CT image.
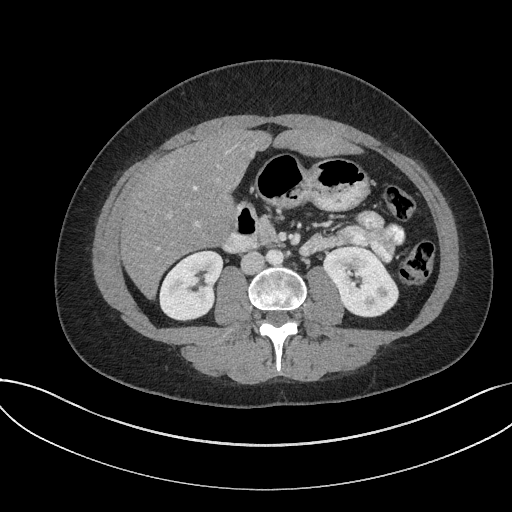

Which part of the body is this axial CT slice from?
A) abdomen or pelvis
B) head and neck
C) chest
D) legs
A) abdomen or pelvis
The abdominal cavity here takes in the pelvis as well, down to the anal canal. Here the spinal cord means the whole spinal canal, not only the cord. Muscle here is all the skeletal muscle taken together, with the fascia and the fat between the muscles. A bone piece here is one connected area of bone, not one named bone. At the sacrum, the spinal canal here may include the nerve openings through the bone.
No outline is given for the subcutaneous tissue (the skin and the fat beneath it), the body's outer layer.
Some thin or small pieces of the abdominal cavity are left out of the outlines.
{"abdominal_cavity":[[[372,329],[407,325],[431,292],[439,266],[425,200],[378,152],[313,127],[222,128],[166,152],[130,197],[120,226],[122,269],[156,326],[218,325],[216,287],[227,265],[238,267],[249,283],[278,265],[305,281],[306,272],[320,265],[344,308],[338,326]]],"bones":[{"outer":[[278,372],[281,368],[284,341],[288,336],[297,333],[297,319],[299,317],[297,309],[303,303],[307,294],[307,287],[302,277],[292,269],[283,266],[265,268],[253,277],[248,286],[248,297],[258,310],[255,316],[259,324],[259,333],[267,336],[272,342]],"hole":[[275,326],[279,326],[280,325],[281,325],[283,323],[284,323],[286,321],[287,321],[289,319],[289,314],[287,311],[267,311],[266,312],[266,315],[265,316],[265,319],[266,320],[266,321],[267,322],[269,322],[270,323],[271,323],[273,325],[274,325]]}],"muscle":[{"outer":[[239,384],[309,382],[347,375],[373,359],[381,346],[417,332],[438,316],[459,272],[458,235],[444,196],[420,162],[355,127],[318,115],[238,114],[190,126],[122,172],[96,220],[91,250],[93,275],[103,298],[130,327],[170,345],[197,371]],"hole":[[278,372],[311,267],[320,265],[336,287],[344,308],[338,326],[401,329],[435,283],[437,234],[419,190],[374,150],[313,127],[222,128],[166,152],[144,175],[120,226],[122,269],[139,307],[165,327],[218,325],[218,280],[227,265],[238,267]]}],"torso":[[[243,409],[349,401],[438,373],[469,350],[490,306],[490,239],[478,201],[458,166],[428,129],[390,95],[327,65],[293,59],[241,61],[201,72],[165,90],[130,117],[95,156],[71,197],[59,233],[53,279],[56,310],[68,343],[83,362],[142,392]]],"spinal_cord":[[[275,326],[279,326],[280,325],[281,325],[283,323],[284,323],[286,321],[287,321],[289,319],[289,314],[287,311],[267,311],[266,312],[266,315],[265,316],[265,319],[266,320],[266,321],[267,322],[269,322],[270,323],[271,323],[273,325],[274,325]]]}